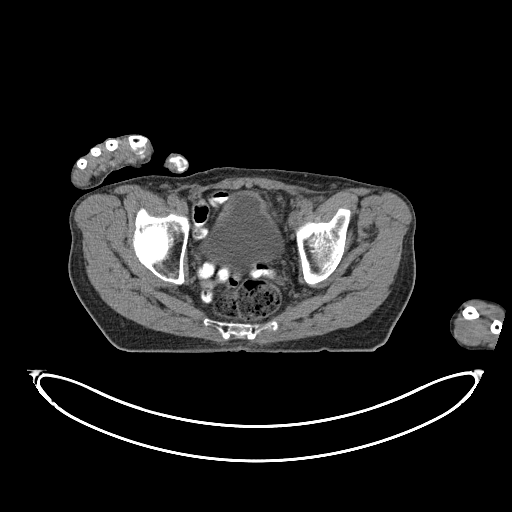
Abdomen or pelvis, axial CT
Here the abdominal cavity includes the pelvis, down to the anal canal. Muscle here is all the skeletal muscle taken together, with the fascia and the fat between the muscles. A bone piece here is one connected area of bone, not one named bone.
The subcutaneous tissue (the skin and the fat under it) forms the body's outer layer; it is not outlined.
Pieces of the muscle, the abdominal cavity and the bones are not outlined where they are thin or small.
The bones appear in 8 outlined pieces: piece 1: 142 207; 150 215; 153 216; 163 217; 170 213; 175 213; 185 215; 188 218; 189 229; 187 236; 186 250; 183 257; 184 281; 182 284; 179 285; 165 281; 156 276; 139 261; 135 254; 132 245; 135 230; 135 217; 137 211; piece 2: 340 207; 348 208; 351 212; 350 221; 346 232; 344 252; 338 265; 325 279; 317 283; 309 285; 304 280; 300 264; 300 259; 296 243; 296 234; 295 233; 296 228; 300 226; 304 222; 307 221; 311 221; 312 222; 327 222; 332 218; piece 3: 205 318; 224 322; 250 324; 264 323; 274 320; 276 321; 278 327; 274 331; 271 329; 263 329; 251 340; 247 339; 246 337; 236 338; 232 334; 228 339; 224 339; 217 329; 217 325; 215 323; 211 323; 206 326; 204 325; 203 320; piece 4: 131 135; 139 135; 140 136; 143 136; 147 139; 147 140; 146 141; 146 145; 145 146; 145 149; 144 150; 145 151; 144 152; 144 153; 145 154; 145 157; 144 157; 143 158; 141 158; 131 149; 130 144; 128 141; 128 137; piece 5: 177 155; 179 155; 180 156; 181 156; 182 157; 183 157; 184 158; 185 158; 185 159; 186 160; 186 161; 187 162; 187 166; 184 169; 183 169; 182 170; 178 170; 169 161; 169 159; 171 157; 173 157; 174 156; 176 156; piece 6: 468 305; 471 305; 472 306; 473 306; 476 309; 476 310; 478 312; 478 313; 479 314; 479 316; 478 317; 477 317; 474 319; 466 319; 465 318; 464 318; 464 317; 463 316; 463 314; 462 313; 462 310; 466 306; 467 306; piece 7: 109 139; 114 139; 115 140; 117 140; 117 141; 118 142; 118 145; 117 146; 117 147; 114 150; 108 150; 105 147; 105 142; 107 140; 108 140; piece 8: 496 319; 497 320; 498 320; 501 322; 501 327; 500 328; 500 331; 499 332; 499 333; 498 333; 497 334; 496 334; 495 333; 493 333; 491 331; 491 330; 490 329; 490 326; 491 325; 491 324; 493 322; 493 321. The right arm appears in 2 outlined pieces: piece 1: 123 134; 139 135; 147 138; 151 142; 153 147; 153 155; 150 161; 140 168; 125 166; 112 171; 102 181; 101 185; 95 188; 78 189; 74 187; 70 181; 70 171; 72 165; 82 155; 89 152; 96 144; 103 142; 108 138; 119 136; piece 2: 170 153; 177 153; 178 154; 181 154; 183 156; 183 157; 185 158; 187 162; 187 166; 185 168; 186 169; 180 172; 177 172; 176 173; 174 173; 173 172; 171 172; 167 168; 164 167; 163 166; 163 163; 164 162; 164 160; 165 158. The muscle appears in 3 outlined pieces: piece 1: 228 177; 266 177; 325 191; 374 188; 397 195; 407 205; 411 220; 388 296; 368 317; 353 326; 263 345; 249 345; 242 339; 221 344; 157 331; 116 312; 100 297; 87 277; 82 234; 74 220; 78 205; 92 194; 119 185; 203 184, around a hole outlined by 242 186; 312 196; 317 202; 288 214; 293 228; 327 222; 340 207; 351 212; 335 269; 309 285; 299 258; 299 288; 270 319; 277 329; 251 340; 204 325; 186 252; 179 285; 143 265; 132 245; 140 208; 187 215; 185 192; piece 2: 472 301; 482 301; 492 304; 505 311; 502 321; 496 318; 489 326; 489 329; 493 334; 498 334; 493 349; 485 345; 466 345; 462 343; 454 333; 454 321; 461 311; 463 318; 466 320; 474 320; 480 316; 479 312; 473 305; 466 305; piece 3: 125 138; 127 138; 130 149; 141 160; 109 167; 99 175; 92 176; 89 183; 85 185; 77 183; 74 172; 77 167; 83 170; 87 166; 86 158; 90 154; 98 157; 102 153; 100 147; 103 145; 108 151; 114 151; 119 145; 118 140. The abdominal cavity is outlined by 242 186; 284 190; 300 197; 309 195; 317 201; 293 208; 287 216; 295 228; 299 288; 279 313; 263 322; 214 319; 196 305; 188 291; 192 288; 186 252; 190 221; 186 215; 188 206; 182 195; 185 192; 193 194; 208 189; 236 189. The left arm is outlined by 471 298; 485 298; 486 299; 493 300; 501 304; 505 308; 505 313; 501 322; 501 327; 498 334; 497 341; 492 351; 484 351; 483 350; 481 351; 470 351; 467 350; 459 346; 450 333; 449 330; 449 320; 452 314; 464 301. The torso is outlined by 216 166; 339 175; 395 188; 410 200; 416 217; 415 283; 405 308; 383 345; 372 352; 246 353; 241 350; 223 353; 133 353; 110 343; 78 299; 69 279; 67 264; 71 234; 68 216; 72 204; 81 195; 110 183; 149 174; 186 176.